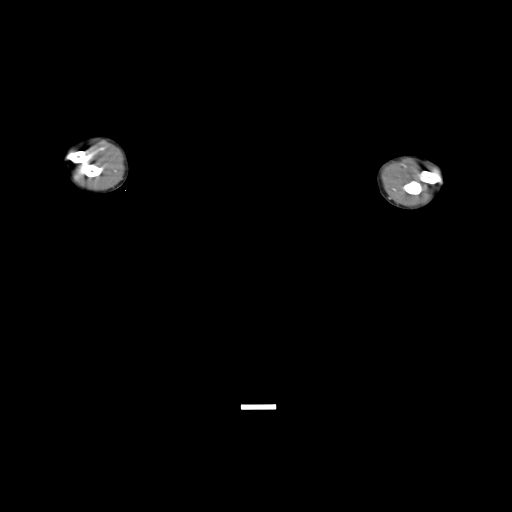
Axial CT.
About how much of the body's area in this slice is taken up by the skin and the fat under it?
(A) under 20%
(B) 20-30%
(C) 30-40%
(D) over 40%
Answer: (B) 20-30%
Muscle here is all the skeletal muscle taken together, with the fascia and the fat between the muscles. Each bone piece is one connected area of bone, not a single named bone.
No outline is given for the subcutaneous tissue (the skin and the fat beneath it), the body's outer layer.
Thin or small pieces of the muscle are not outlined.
{"left_arm":[[[402,154],[413,154],[425,157],[432,160],[435,160],[442,166],[445,171],[445,178],[444,179],[445,183],[443,189],[439,195],[438,194],[429,205],[421,209],[417,210],[403,210],[389,204],[382,197],[376,185],[375,181],[375,169],[377,165],[384,159]]],"right_arm":[[[91,135],[103,135],[116,140],[124,148],[127,154],[127,158],[129,163],[129,172],[127,178],[119,188],[112,192],[106,194],[90,193],[78,189],[68,178],[68,175],[62,163],[62,152],[64,148],[69,143],[73,142],[80,138],[90,136]]],"bones":[[[77,150],[86,150],[90,157],[91,160],[90,161],[92,163],[95,163],[100,167],[103,167],[103,170],[99,175],[93,177],[88,177],[85,175],[82,175],[79,169],[79,166],[80,165],[78,163],[74,163],[65,158],[66,154],[69,151],[76,151]],[[422,170],[430,170],[431,171],[437,172],[441,175],[443,179],[441,183],[438,182],[434,184],[429,184],[423,182],[422,183],[423,188],[421,192],[418,194],[410,194],[405,191],[403,189],[403,186],[406,183],[412,180],[418,180],[419,179],[418,174]]],"muscle":[[[92,138],[104,139],[110,142],[119,149],[122,155],[122,176],[113,186],[107,189],[95,190],[78,185],[73,180],[67,165],[66,160],[78,164],[80,174],[88,178],[97,177],[102,173],[104,167],[92,162],[86,149],[69,150],[67,152],[71,148]],[[403,158],[423,161],[438,168],[441,174],[434,170],[422,169],[417,174],[418,179],[412,179],[402,186],[402,189],[408,194],[418,195],[424,188],[423,183],[429,185],[441,184],[428,202],[417,206],[406,206],[389,197],[381,180],[382,171],[389,163]]]}